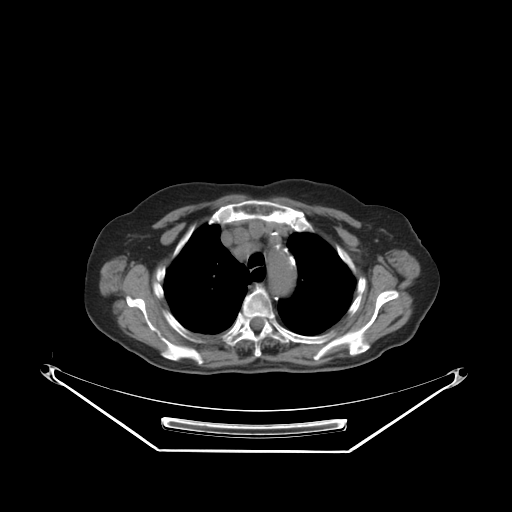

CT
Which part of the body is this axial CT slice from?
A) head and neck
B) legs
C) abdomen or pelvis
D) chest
D) chest
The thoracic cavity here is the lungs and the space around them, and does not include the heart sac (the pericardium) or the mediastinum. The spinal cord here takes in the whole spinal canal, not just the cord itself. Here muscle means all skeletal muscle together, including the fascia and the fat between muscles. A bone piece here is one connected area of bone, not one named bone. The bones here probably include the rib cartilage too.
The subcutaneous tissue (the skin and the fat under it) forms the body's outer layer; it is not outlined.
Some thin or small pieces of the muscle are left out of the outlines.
{"muscle":[[[232,193],[256,198],[223,204],[198,227],[196,222],[191,223],[176,243],[169,265],[156,269],[152,291],[167,302],[169,309],[161,311],[167,323],[183,338],[198,344],[218,337],[229,346],[252,341],[257,358],[262,354],[260,343],[267,336],[281,344],[322,345],[312,356],[316,361],[342,344],[347,344],[351,356],[319,365],[258,358],[245,365],[206,368],[188,360],[177,361],[187,358],[201,365],[201,354],[192,346],[174,343],[162,335],[149,319],[145,301],[130,295],[125,297],[126,304],[141,311],[148,327],[166,347],[159,353],[120,329],[111,302],[99,290],[100,269],[106,260],[128,255],[151,271],[168,250],[160,242],[162,230],[152,228],[152,224],[179,207]],[[273,196],[335,208],[360,221],[361,228],[353,231],[367,267],[376,261],[377,255],[394,248],[413,255],[420,264],[420,274],[410,289],[414,308],[409,320],[379,338],[371,347],[365,340],[364,334],[381,307],[400,295],[394,288],[385,289],[376,296],[372,314],[363,325],[331,338],[335,334],[331,329],[359,308],[367,279],[363,275],[356,278],[356,266],[349,254],[338,243],[334,248],[316,233],[302,210],[259,199]]],"thoracic_cavity":[[[205,223],[208,225],[217,224],[220,226],[221,243],[238,262],[245,266],[251,279],[247,285],[247,292],[242,300],[240,309],[232,327],[224,334],[208,339],[200,338],[194,335],[174,316],[165,297],[162,284],[167,268],[171,262],[178,255],[195,230]],[[295,232],[315,233],[321,237],[335,250],[356,279],[355,291],[352,301],[346,310],[346,314],[328,331],[320,334],[300,334],[286,328],[278,320],[275,310],[278,301],[280,299],[288,299],[291,297],[297,285],[298,271],[296,258],[287,246],[288,238]]],"spinal_cord":[[[255,317],[260,317],[263,320],[263,325],[262,326],[262,327],[261,328],[261,329],[260,330],[259,330],[258,331],[255,331],[251,327],[251,321],[252,320],[252,319],[253,318],[254,318]]],"mediastinum":[[[255,219],[267,223],[285,225],[294,231],[287,238],[286,246],[295,258],[297,271],[296,285],[291,296],[280,298],[277,301],[275,309],[265,287],[255,284],[253,289],[248,292],[248,285],[252,281],[248,269],[234,257],[221,241],[221,226],[233,222]]],"bones":[{"outer":[[255,285],[265,288],[286,329],[306,336],[333,330],[331,339],[363,326],[381,292],[399,295],[378,310],[363,334],[370,347],[362,353],[352,356],[342,343],[316,360],[322,344],[281,343],[267,335],[257,357],[252,340],[229,345],[219,337],[233,327]],"hole":[[255,317],[260,317],[263,320],[263,325],[262,326],[262,327],[261,328],[261,329],[260,330],[259,330],[258,331],[255,331],[251,327],[251,321],[252,320],[252,319],[253,318],[254,318]]},[[250,199],[267,200],[302,211],[304,213],[306,219],[313,227],[314,232],[308,232],[307,231],[297,232],[288,225],[276,222],[267,222],[257,218],[233,221],[225,223],[222,225],[217,223],[208,224],[207,221],[209,218],[221,206],[230,203],[235,203]],[[127,296],[141,298],[145,303],[148,319],[159,330],[161,335],[174,344],[194,348],[200,354],[203,362],[198,364],[195,360],[187,357],[175,361],[161,356],[160,353],[166,349],[166,344],[157,333],[149,327],[142,311],[135,306],[130,307],[127,304]],[[164,309],[169,310],[173,315],[173,316],[186,329],[190,331],[195,337],[199,338],[200,339],[202,339],[204,341],[204,342],[202,342],[201,343],[194,342],[183,337],[180,334],[179,334],[168,323],[168,322],[164,317],[163,313],[162,312],[162,311]],[[361,276],[365,277],[366,279],[366,285],[362,293],[362,295],[361,296],[361,300],[360,301],[358,308],[356,310],[356,311],[350,316],[347,313],[347,310],[349,308],[351,303],[353,301],[353,299],[357,294],[356,292],[357,280],[358,278]],[[163,265],[164,265],[166,267],[165,275],[164,276],[163,281],[161,283],[162,285],[162,288],[164,292],[164,297],[163,298],[158,298],[153,291],[153,287],[152,286],[152,284],[154,282],[155,282],[157,279],[156,278],[156,271],[157,269],[159,267]],[[193,223],[196,223],[196,228],[194,230],[194,231],[192,233],[188,240],[181,248],[180,251],[177,254],[177,255],[173,259],[172,259],[171,257],[172,256],[172,254],[174,251],[174,249],[177,243],[185,233],[189,226]],[[336,244],[338,244],[348,254],[348,255],[351,258],[351,259],[352,260],[352,261],[355,266],[355,272],[354,273],[354,274],[351,271],[351,270],[349,268],[349,267],[341,259],[341,258],[338,255],[338,254],[335,249],[335,246],[336,245]]],"torso":[[[290,177],[337,185],[367,204],[384,205],[407,217],[434,259],[440,274],[436,298],[409,341],[367,363],[342,370],[202,375],[154,366],[110,339],[91,322],[83,302],[86,264],[97,235],[111,219],[128,212],[156,190],[176,183],[209,181],[264,184]]]}